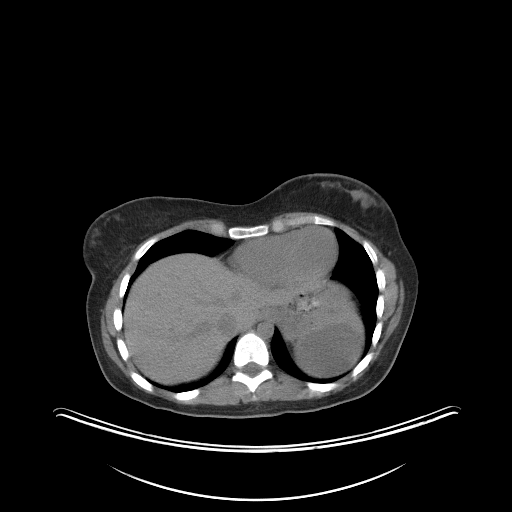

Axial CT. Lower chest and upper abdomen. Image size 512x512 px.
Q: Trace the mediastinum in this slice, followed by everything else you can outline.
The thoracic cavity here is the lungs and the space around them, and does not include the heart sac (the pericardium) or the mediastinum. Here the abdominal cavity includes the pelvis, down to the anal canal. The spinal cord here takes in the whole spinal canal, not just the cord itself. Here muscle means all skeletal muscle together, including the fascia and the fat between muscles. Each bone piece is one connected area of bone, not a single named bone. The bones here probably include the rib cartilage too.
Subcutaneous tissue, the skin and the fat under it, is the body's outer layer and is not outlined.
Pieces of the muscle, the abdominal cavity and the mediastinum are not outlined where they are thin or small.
A: The mediastinum appears in 2 outlined pieces: piece 1: [[264,319],[271,321],[273,323],[273,325],[275,326],[273,330],[273,333],[270,341],[269,348],[267,343],[264,339],[254,331],[252,331],[251,330],[247,331],[238,337],[242,332],[247,330],[248,328],[253,326],[256,322],[259,320],[263,320]]; piece 2: [[240,239],[243,239],[241,241],[238,242],[231,249],[230,249],[226,253],[225,253],[221,257],[221,258],[218,255],[218,254],[220,252],[222,252],[224,250],[225,250],[227,248],[231,246],[233,244],[234,242],[234,240],[239,240]]. The pericardium is outlined by [[305,225],[319,225],[328,228],[333,232],[337,240],[337,259],[333,267],[319,278],[308,282],[293,285],[260,285],[256,281],[248,278],[244,274],[237,272],[225,260],[222,259],[222,257],[225,254],[244,239],[262,237],[270,232],[277,233],[294,227]]. The abdominal cavity is outlined by [[188,251],[217,254],[260,286],[299,285],[326,274],[343,282],[361,310],[365,328],[361,358],[347,373],[310,376],[294,363],[274,323],[264,318],[233,337],[215,368],[202,379],[164,385],[145,377],[130,360],[123,339],[122,306],[130,286],[148,264]]. The muscle appears in 2 outlined pieces: piece 1: [[286,212],[313,212],[323,214],[351,226],[371,241],[399,271],[404,286],[401,316],[370,368],[350,385],[326,396],[238,405],[180,404],[132,384],[107,355],[102,342],[100,318],[114,281],[136,246],[142,242],[132,256],[132,260],[137,262],[133,272],[125,272],[120,280],[118,297],[122,299],[122,305],[113,309],[112,323],[122,335],[122,338],[117,337],[115,340],[120,357],[125,362],[129,358],[137,371],[131,370],[130,378],[147,392],[151,393],[154,386],[171,392],[171,397],[177,401],[192,400],[199,395],[200,387],[218,377],[232,363],[235,369],[230,377],[231,381],[245,385],[252,394],[251,399],[256,401],[255,392],[259,385],[274,376],[270,368],[272,360],[281,370],[304,381],[310,394],[332,391],[340,385],[337,381],[339,379],[350,372],[355,378],[368,366],[374,357],[374,352],[369,349],[376,346],[382,333],[383,292],[386,287],[383,270],[380,267],[374,269],[378,263],[375,250],[367,240],[363,239],[359,243],[336,226],[333,219],[316,213],[285,220],[274,219],[270,224],[261,223]]; piece 2: [[205,218],[211,218],[212,219],[219,219],[221,220],[214,221],[209,226],[209,232],[200,230],[199,229],[196,229],[195,228],[186,228],[161,239],[160,239],[160,237],[158,235],[153,235],[170,227],[177,225],[184,221],[194,220],[195,219],[204,219]]. The thoracic cavity appears in 4 outlined pieces: piece 1: [[335,227],[344,231],[362,246],[373,266],[376,285],[378,289],[378,294],[375,303],[376,322],[372,332],[370,346],[368,351],[362,357],[366,342],[366,328],[360,302],[356,294],[343,281],[335,279],[331,275],[339,257],[339,244],[335,234],[334,229]]; piece 2: [[186,229],[195,229],[207,232],[216,236],[227,237],[233,240],[232,244],[214,255],[209,255],[199,251],[188,250],[169,253],[155,259],[148,263],[133,280],[127,290],[127,293],[123,303],[123,298],[126,293],[129,281],[136,268],[138,261],[158,241]]; piece 3: [[275,328],[279,331],[287,352],[293,363],[304,374],[314,378],[329,378],[330,377],[334,377],[335,376],[346,374],[334,381],[331,381],[330,382],[314,382],[313,381],[305,381],[281,369],[272,359],[272,356],[270,351],[271,341],[273,337]]; piece 4: [[236,337],[237,339],[234,345],[231,362],[229,365],[218,376],[199,387],[189,390],[174,392],[158,386],[155,386],[146,378],[164,386],[179,386],[182,384],[189,384],[192,382],[197,382],[202,380],[208,376],[216,368],[222,359],[226,347],[230,341]]. The spinal cord is outlined by [[249,362],[253,362],[254,363],[256,363],[258,365],[259,365],[261,367],[261,369],[255,375],[253,375],[252,376],[251,376],[250,375],[249,375],[248,374],[247,374],[245,372],[244,372],[243,371],[243,367],[246,364],[247,364]]. The bones appear in 13 outlined pieces: piece 1: [[250,331],[254,332],[263,339],[266,343],[271,356],[269,368],[273,373],[273,376],[271,378],[264,380],[256,388],[254,392],[256,396],[256,400],[252,399],[253,394],[245,384],[239,381],[232,381],[231,379],[236,369],[232,362],[236,342],[240,336]], around a hole outlined by [[249,362],[253,362],[254,363],[256,363],[258,365],[259,365],[261,367],[261,369],[255,375],[253,375],[252,376],[251,376],[250,375],[249,375],[248,374],[247,374],[245,372],[244,372],[243,371],[243,367],[246,364],[247,364]]; piece 2: [[315,214],[333,220],[336,224],[335,226],[315,223],[303,223],[292,226],[286,225],[282,231],[277,232],[270,229],[267,234],[262,236],[239,239],[232,239],[227,236],[227,230],[232,226],[253,226],[258,224],[270,225],[274,220],[285,221],[291,218]]; piece 3: [[377,268],[380,268],[384,274],[385,287],[382,292],[383,312],[380,318],[382,323],[382,328],[379,339],[375,346],[373,347],[371,345],[371,340],[376,323],[378,320],[376,315],[376,303],[379,294],[379,289],[377,285],[377,280],[375,274],[375,270]]; piece 4: [[335,381],[338,382],[339,383],[339,385],[337,387],[334,388],[332,390],[330,390],[329,391],[325,391],[324,392],[314,392],[313,393],[310,393],[310,392],[309,391],[309,389],[306,385],[306,382],[313,382],[314,383],[330,383],[331,382],[334,382]]; piece 5: [[153,236],[158,236],[159,237],[159,240],[158,240],[155,243],[154,243],[145,252],[145,253],[137,261],[135,261],[134,260],[133,260],[133,256],[134,255],[134,254],[135,253],[135,252],[142,245],[142,244],[146,240],[147,240],[149,238],[150,238]]; piece 6: [[131,371],[134,371],[135,372],[137,372],[138,373],[139,373],[142,376],[143,376],[149,382],[150,382],[153,386],[153,390],[151,392],[149,392],[145,389],[142,388],[135,382],[134,382],[134,381],[131,378],[131,377],[130,376],[130,372]]; piece 7: [[369,351],[372,351],[373,352],[373,357],[371,359],[371,360],[369,362],[367,366],[364,369],[363,369],[360,372],[359,372],[355,376],[355,377],[353,377],[351,375],[351,371],[353,369],[353,368],[358,363],[358,362],[359,362],[360,360]]; piece 8: [[196,388],[199,388],[200,389],[200,391],[198,395],[196,397],[192,399],[190,399],[189,400],[177,400],[173,397],[172,397],[171,395],[171,393],[172,392],[174,393],[176,393],[177,392],[184,392],[185,391],[189,391],[190,390],[192,390]]; piece 9: [[117,307],[118,307],[119,308],[121,308],[121,312],[122,313],[122,325],[121,326],[121,330],[120,330],[119,331],[117,331],[116,330],[116,329],[115,328],[115,327],[114,326],[114,324],[113,323],[113,312],[114,311],[114,309],[115,308],[116,308]]; piece 10: [[363,240],[365,240],[366,241],[367,241],[370,244],[370,245],[374,250],[374,251],[377,256],[377,263],[376,264],[376,265],[373,265],[373,264],[372,263],[372,262],[371,261],[371,260],[370,259],[367,252],[365,250],[365,249],[361,244],[361,242]]; piece 11: [[117,338],[121,338],[124,341],[124,342],[125,343],[125,345],[127,348],[127,350],[128,351],[129,356],[128,357],[128,359],[126,361],[125,361],[121,357],[121,356],[119,353],[119,351],[117,348],[117,344],[116,343],[116,340],[117,339]]; piece 12: [[218,221],[221,221],[222,222],[223,222],[225,224],[225,228],[224,229],[224,232],[221,235],[216,235],[215,234],[213,234],[212,233],[210,233],[210,226],[214,222],[217,222]]; piece 13: [[127,272],[130,273],[131,275],[128,281],[128,283],[127,284],[127,287],[126,288],[125,293],[123,297],[122,298],[120,298],[119,297],[119,287],[120,286],[120,283],[121,282],[121,280],[123,276],[125,274],[125,273]]. The torso is outlined by [[313,172],[345,174],[377,190],[392,209],[415,262],[419,281],[413,315],[385,378],[364,396],[329,408],[251,418],[179,414],[153,408],[114,389],[100,370],[86,320],[91,276],[82,258],[82,243],[91,222],[110,208],[144,196],[245,204],[291,177]].